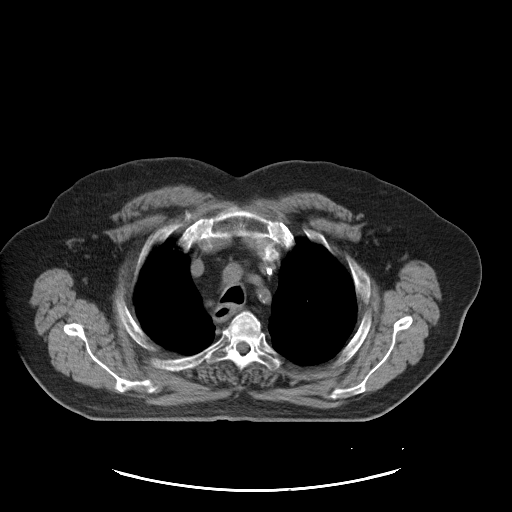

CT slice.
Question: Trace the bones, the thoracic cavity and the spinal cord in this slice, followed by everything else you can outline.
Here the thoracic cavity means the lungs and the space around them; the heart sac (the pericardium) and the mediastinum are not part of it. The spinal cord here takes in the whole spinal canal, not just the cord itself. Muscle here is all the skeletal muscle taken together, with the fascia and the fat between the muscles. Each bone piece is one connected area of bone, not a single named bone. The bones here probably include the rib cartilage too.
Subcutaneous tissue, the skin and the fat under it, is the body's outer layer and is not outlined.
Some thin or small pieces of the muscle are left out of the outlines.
Answer: {"bones":[[[232,205],[282,222],[293,234],[295,244],[287,251],[276,244],[278,256],[272,259],[263,258],[265,248],[261,242],[239,236],[212,238],[212,248],[207,250],[203,248],[207,244],[205,240],[196,241],[184,252],[177,240],[191,223],[201,217],[215,216]],{"outer":[[246,310],[259,320],[267,342],[279,354],[282,363],[276,369],[270,370],[265,365],[253,361],[240,370],[231,360],[225,359],[213,363],[203,361],[192,368],[170,371],[155,367],[150,362],[155,357],[173,359],[202,351],[221,335],[222,330],[234,316]],"hole":[[239,342],[245,342],[248,345],[248,346],[249,347],[249,349],[247,351],[247,352],[246,352],[245,353],[244,353],[243,354],[242,354],[240,352],[239,352],[238,351],[238,350],[237,349],[237,348],[236,347],[236,346],[237,345],[237,344]]},[[73,322],[83,326],[90,350],[114,373],[132,381],[149,379],[154,385],[158,386],[158,389],[148,393],[144,386],[136,385],[123,392],[117,391],[114,387],[115,378],[92,359],[86,350],[84,341],[80,337],[68,335],[64,331],[63,326],[66,323]],[[406,315],[412,317],[411,324],[407,328],[399,330],[396,333],[395,343],[392,350],[385,361],[369,376],[365,384],[366,389],[355,395],[342,396],[335,399],[329,398],[327,396],[335,388],[354,386],[365,377],[388,350],[392,338],[393,324]],[[186,210],[191,212],[194,215],[193,218],[188,222],[184,221],[164,242],[153,246],[139,271],[136,281],[134,282],[133,281],[134,280],[134,272],[136,268],[137,260],[141,249],[147,238],[158,228],[170,222],[174,221],[181,222],[184,218],[184,212]],[[121,292],[123,295],[123,299],[125,302],[125,304],[128,308],[131,315],[137,321],[141,329],[145,334],[155,344],[156,349],[154,351],[148,350],[139,345],[130,336],[122,324],[120,318],[117,313],[115,304],[114,303],[114,299],[116,295],[119,294]],[[367,310],[369,310],[371,312],[371,324],[370,325],[369,330],[363,342],[356,351],[356,352],[348,361],[340,365],[335,365],[334,362],[337,357],[337,355],[346,345],[346,344],[349,341],[351,337],[354,334],[360,323],[360,321],[361,320],[362,316]],[[346,253],[349,254],[355,260],[356,260],[365,269],[369,276],[369,281],[370,282],[370,296],[367,303],[364,303],[361,300],[359,299],[358,300],[357,299],[356,293],[355,292],[354,282],[353,281],[351,273],[349,270],[347,260],[345,256]],[[303,226],[306,226],[310,229],[312,229],[317,232],[321,233],[324,236],[324,237],[328,242],[329,245],[331,247],[333,251],[333,254],[332,254],[322,244],[318,243],[317,242],[311,241],[309,239],[308,239],[303,231],[303,229],[302,228]]],"thoracic_cavity":[[[295,237],[306,237],[311,242],[322,245],[347,268],[353,282],[354,292],[358,304],[355,331],[335,357],[319,364],[300,365],[283,357],[268,342],[267,336],[262,329],[266,329],[268,326],[272,311],[272,300],[278,288],[280,268],[287,252],[296,244]],[[169,238],[175,239],[177,246],[184,253],[189,253],[189,273],[191,280],[200,296],[206,313],[210,316],[215,327],[217,329],[222,329],[220,335],[213,342],[191,355],[180,355],[155,343],[138,322],[132,302],[134,287],[147,257],[154,246],[164,243]]],"spinal_cord":[[[239,342],[245,342],[248,345],[248,346],[249,347],[249,349],[247,351],[247,352],[246,352],[245,353],[244,353],[243,354],[242,354],[240,352],[239,352],[238,351],[238,350],[237,349],[237,348],[236,347],[236,346],[237,345],[237,344]]],"muscle":[{"outer":[[181,183],[218,199],[239,202],[255,196],[275,198],[293,190],[322,193],[366,216],[367,223],[352,250],[363,266],[346,252],[346,267],[319,231],[303,225],[305,236],[296,237],[282,221],[236,204],[215,215],[195,219],[176,239],[171,235],[195,216],[186,209],[181,221],[158,227],[140,249],[131,296],[136,319],[121,291],[113,299],[121,324],[139,346],[154,352],[156,344],[180,356],[152,357],[152,366],[179,372],[203,362],[229,360],[240,371],[253,362],[274,371],[283,363],[281,356],[300,366],[319,365],[335,358],[334,365],[340,366],[357,352],[372,324],[372,312],[367,309],[356,329],[358,301],[367,304],[371,296],[368,272],[381,288],[389,287],[397,281],[404,264],[414,259],[425,261],[434,269],[442,295],[440,316],[422,357],[387,385],[333,408],[255,399],[244,391],[205,402],[153,405],[122,393],[98,391],[64,377],[51,364],[34,327],[34,310],[29,300],[35,279],[47,269],[63,268],[74,279],[76,295],[108,313],[122,258],[117,245],[103,232],[115,225],[110,216],[143,192]],"holes":[[[73,322],[83,326],[90,350],[114,373],[132,381],[149,379],[154,385],[158,386],[158,389],[148,393],[144,386],[136,385],[123,392],[117,391],[114,387],[115,378],[92,359],[86,350],[84,341],[80,337],[68,335],[64,331],[63,326],[66,323]],[[406,315],[412,317],[411,324],[407,328],[399,330],[396,333],[395,343],[392,350],[385,361],[369,376],[365,384],[366,389],[355,395],[342,396],[335,399],[329,398],[327,396],[335,388],[354,386],[365,377],[388,350],[392,338],[393,324]]]}],"torso":[[[161,156],[196,158],[235,175],[285,159],[327,160],[366,170],[423,200],[469,235],[481,260],[480,287],[452,351],[403,401],[365,421],[99,421],[56,402],[32,377],[18,352],[4,304],[0,250],[21,228],[43,218],[56,196],[80,177],[128,160]]],"mediastinum":[[[233,237],[261,243],[264,260],[279,256],[276,245],[286,251],[279,268],[277,288],[271,300],[266,328],[262,327],[255,314],[246,309],[234,315],[224,328],[217,328],[192,280],[188,252],[193,244],[205,241],[202,248],[207,251],[213,248],[212,239]]]}